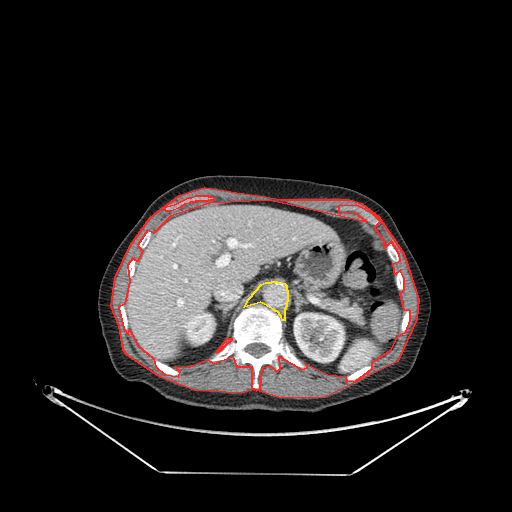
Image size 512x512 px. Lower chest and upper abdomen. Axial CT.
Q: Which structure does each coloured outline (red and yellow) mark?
A: red: muscle; yellow: mediastinum.
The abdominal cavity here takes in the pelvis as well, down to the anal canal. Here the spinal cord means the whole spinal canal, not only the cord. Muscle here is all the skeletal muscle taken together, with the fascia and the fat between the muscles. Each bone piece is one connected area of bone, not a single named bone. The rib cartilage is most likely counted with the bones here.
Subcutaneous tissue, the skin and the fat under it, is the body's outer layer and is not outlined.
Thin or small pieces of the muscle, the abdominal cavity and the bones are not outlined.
Outlines (x, y in pixels):
muscle 1: [[204,187],[282,199],[349,199],[361,203],[378,216],[403,253],[418,299],[416,319],[397,361],[325,397],[281,398],[256,390],[260,388],[262,367],[269,365],[277,371],[280,368],[279,356],[301,369],[307,367],[305,363],[327,374],[345,376],[346,381],[356,380],[372,368],[372,362],[391,349],[398,335],[406,331],[410,320],[410,311],[404,310],[400,293],[404,289],[404,278],[400,270],[395,274],[394,271],[393,263],[400,260],[399,254],[391,241],[384,248],[384,241],[374,227],[380,221],[373,214],[356,205],[338,206],[338,211],[354,212],[366,221],[362,221],[269,200],[209,203],[170,216],[153,233],[147,230],[137,245],[142,250],[137,261],[132,258],[127,265],[129,281],[124,304],[118,307],[123,328],[128,334],[129,330],[137,345],[153,358],[155,366],[164,374],[178,376],[180,372],[175,367],[190,366],[207,359],[213,363],[232,356],[236,366],[251,366],[251,387],[254,389],[241,393],[194,390],[160,377],[127,355],[123,350],[119,326],[111,306],[115,277],[130,245],[150,217],[179,195]], around a hole outlined by [[195,195],[207,195],[208,196],[211,196],[214,198],[213,200],[210,200],[209,201],[208,200],[207,201],[195,201],[194,202],[190,202],[189,203],[184,204],[180,207],[171,211],[166,211],[165,210],[166,206],[174,204],[188,197],[191,197]]
muscle 2: [[227,338],[231,338],[231,340],[229,342],[228,342],[219,351],[218,351],[217,352],[216,352],[218,350],[218,349],[222,345],[222,344],[225,341],[225,340]]
mediastinum: [[272,281],[276,281],[277,282],[284,283],[286,285],[286,289],[287,290],[287,301],[286,302],[286,306],[284,309],[284,320],[282,320],[281,316],[277,311],[275,311],[273,309],[260,302],[244,307],[249,298],[261,284],[265,282],[271,282]]
bones 1: [[258,303],[280,316],[281,340],[288,344],[290,351],[306,367],[293,365],[279,355],[277,370],[269,364],[261,367],[258,375],[259,388],[255,389],[252,387],[254,370],[249,363],[236,365],[232,355],[213,362],[208,359],[232,340],[234,321],[241,310]]; inner edge: [[252,343],[262,343],[263,344],[266,345],[269,348],[269,351],[268,352],[267,352],[266,353],[263,354],[261,356],[260,356],[259,357],[255,357],[253,355],[250,354],[245,350],[246,347],[249,344],[251,344]]
bones 2: [[343,205],[356,206],[359,208],[362,208],[364,209],[366,211],[373,215],[379,221],[379,224],[377,226],[374,226],[372,225],[370,223],[369,223],[361,215],[354,211],[352,211],[351,210],[347,210],[346,211],[338,210],[337,208]]
bones 3: [[195,195],[207,195],[208,196],[211,196],[214,198],[213,200],[210,200],[209,201],[208,200],[207,201],[195,201],[194,202],[190,202],[189,203],[184,204],[180,207],[171,211],[166,211],[165,210],[166,206],[174,204],[188,197],[191,197]]
bones 4: [[154,360],[158,360],[160,362],[162,362],[163,363],[172,367],[174,369],[175,369],[177,371],[178,371],[179,372],[179,374],[178,375],[171,375],[170,374],[167,374],[166,373],[164,373],[162,371],[161,371],[156,366],[156,365],[154,363]]
bones 5: [[369,364],[370,364],[371,365],[371,368],[363,375],[362,375],[361,376],[358,377],[356,379],[354,379],[353,380],[346,380],[345,379],[345,377],[347,375],[348,375],[349,374],[351,374],[353,372],[358,370],[360,368],[361,368],[364,366],[366,366]]
bones 6: [[388,242],[391,242],[391,243],[392,244],[392,245],[393,246],[393,247],[396,250],[396,251],[398,254],[398,257],[399,258],[399,260],[397,262],[393,262],[390,259],[390,258],[389,257],[389,256],[388,255],[388,254],[386,251],[386,244]]
bones 7: [[121,304],[123,304],[125,307],[125,311],[126,312],[126,315],[127,316],[127,321],[128,322],[128,333],[128,332],[124,328],[124,327],[123,326],[123,325],[121,322],[121,319],[120,318],[120,314],[119,313],[119,307]]
bones 8: [[405,310],[408,310],[409,311],[409,320],[408,321],[408,324],[407,325],[407,327],[406,328],[406,329],[405,330],[405,331],[402,333],[400,333],[400,325],[401,324],[401,322],[402,321],[402,317],[403,316],[403,314],[404,313],[404,311]]
bones 9: [[149,230],[150,230],[152,232],[152,234],[151,235],[151,237],[150,238],[150,239],[149,240],[149,241],[148,242],[147,245],[143,249],[140,249],[138,246],[138,245],[139,244],[139,242],[140,241],[140,240],[142,238],[142,237],[146,233],[146,232]]
bones 10: [[398,271],[400,271],[400,272],[401,273],[401,274],[402,275],[402,277],[403,278],[403,281],[404,282],[404,285],[403,286],[403,289],[401,291],[400,291],[397,288],[397,286],[396,285],[396,282],[395,281],[395,275],[396,274],[396,273]]
abdominal cavity: [[238,201],[286,203],[373,226],[392,262],[403,306],[399,333],[390,349],[346,375],[327,373],[304,362],[283,334],[287,285],[272,280],[255,289],[235,317],[231,337],[208,358],[173,367],[146,353],[129,329],[125,300],[130,278],[152,235],[178,213]]
spinal cord: [[252,343],[262,343],[263,344],[266,345],[269,348],[269,351],[268,352],[267,352],[266,353],[263,354],[261,356],[260,356],[259,357],[255,357],[253,355],[250,354],[245,350],[246,347],[249,344],[251,344]]
torso: [[216,174],[293,178],[343,186],[369,196],[388,211],[421,270],[431,298],[425,338],[412,369],[403,378],[369,395],[319,411],[288,412],[189,405],[165,398],[144,383],[126,381],[117,373],[108,355],[97,310],[105,268],[122,239],[155,198],[186,180]]